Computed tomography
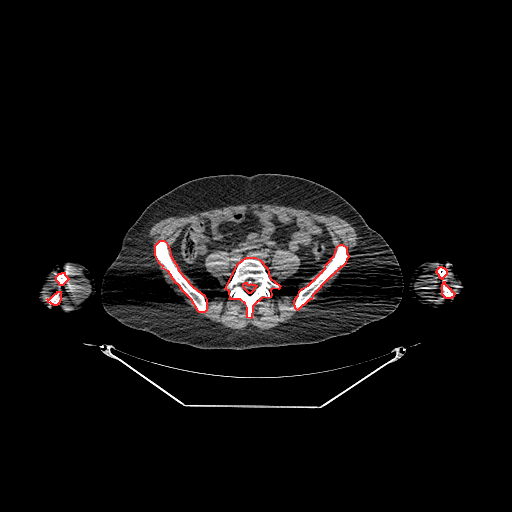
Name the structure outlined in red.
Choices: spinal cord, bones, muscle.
red: bones.
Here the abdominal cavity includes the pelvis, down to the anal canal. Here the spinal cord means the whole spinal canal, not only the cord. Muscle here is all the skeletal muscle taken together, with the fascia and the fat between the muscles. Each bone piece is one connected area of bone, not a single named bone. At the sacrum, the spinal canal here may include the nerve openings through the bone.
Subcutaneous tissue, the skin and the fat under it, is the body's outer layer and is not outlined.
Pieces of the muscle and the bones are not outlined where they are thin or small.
The bones appear in 7 outlined pieces: piece 1: (246, 257) (255, 257) (259, 259) (267, 268) (269, 277) (280, 286) (278, 289) (272, 288) (270, 290) (271, 294) (270, 297) (267, 298) (262, 297) (252, 306) (251, 318) (247, 317) (247, 307) (245, 303) (240, 299) (230, 299) (229, 291) (225, 288) (238, 263); inner edge: (245, 282) (246, 282) (246, 283) (247, 284) (248, 284) (249, 285) (251, 283) (252, 284) (254, 284) (255, 285) (256, 285) (256, 286) (253, 289) (253, 290) (250, 293) (249, 293) (244, 288) (244, 287) (243, 286) (243, 284); piece 2: (160, 240) (163, 240) (166, 242) (169, 249) (170, 255) (178, 268) (178, 270) (192, 286) (204, 295) (206, 300) (206, 310) (204, 312) (199, 312) (198, 311) (191, 299) (182, 290) (179, 285) (175, 282) (168, 271) (162, 268) (163, 266) (160, 264) (155, 255) (155, 245); piece 3: (340, 244) (342, 244) (346, 247) (346, 252) (348, 255) (348, 257) (346, 259) (345, 263) (328, 278) (312, 295) (311, 299) (309, 299) (297, 310) (295, 308) (294, 301) (295, 298) (298, 295) (299, 291) (302, 288) (308, 285) (325, 268) (326, 264) (334, 255) (337, 246); piece 4: (444, 281) (444, 283) (449, 288) (450, 288) (450, 289) (454, 293) (454, 294) (453, 295) (453, 296) (452, 297) (451, 297) (450, 298) (446, 298) (445, 297) (444, 297) (444, 296) (442, 294) (442, 284) (443, 283) (443, 282); piece 5: (57, 291) (60, 291) (60, 300) (59, 301) (59, 302) (58, 303) (58, 304) (57, 304) (56, 305) (54, 305) (53, 304) (52, 304) (50, 302) (49, 303) (48, 302) (48, 300) (47, 299) (48, 298) (49, 299) (55, 293) (56, 293) (57, 292); piece 6: (62, 272) (64, 272) (64, 274) (68, 278) (68, 279) (62, 285) (60, 285) (59, 284) (59, 283) (56, 280) (56, 276) (59, 273) (61, 273); piece 7: (440, 266) (441, 266) (442, 267) (443, 267) (444, 268) (445, 268) (445, 269) (446, 270) (446, 274) (442, 278) (442, 279) (441, 278) (440, 278) (440, 277) (439, 276) (439, 275) (436, 272) (436, 271) (437, 270) (437, 269). The muscle appears in 3 outlined pieces: piece 1: (246, 203) (275, 204) (325, 215) (336, 215) (348, 222) (359, 237) (350, 263) (340, 270) (331, 285) (319, 298) (304, 306) (288, 321) (262, 330) (252, 325) (234, 329) (201, 318) (171, 290) (170, 285) (156, 265) (155, 256) (162, 266) (161, 268) (167, 271) (197, 311) (204, 313) (207, 310) (205, 295) (188, 281) (177, 265) (195, 284) (203, 287) (217, 281) (216, 277) (207, 270) (206, 258) (215, 250) (227, 252) (232, 274) (224, 288) (228, 291) (230, 300) (240, 300) (244, 303) (246, 317) (251, 319) (253, 317) (253, 306) (262, 298) (270, 298) (272, 289) (278, 290) (281, 287) (270, 277) (271, 260) (272, 255) (277, 250) (287, 250) (299, 258) (299, 266) (285, 282) (294, 285) (300, 284) (321, 270) (298, 291) (294, 298) (293, 305) (298, 311) (313, 298) (313, 295) (346, 263) (349, 257) (347, 247) (344, 244) (340, 243) (335, 248) (331, 235) (322, 223) (305, 216) (277, 214) (261, 208) (248, 208) (225, 218) (201, 217) (189, 222) (181, 228) (169, 248) (165, 240) (158, 240) (154, 245) (154, 253) (149, 236) (151, 227) (162, 219) (171, 216) (182, 217) (196, 212); piece 2: (71, 265) (81, 270) (91, 284) (91, 296) (85, 301) (67, 309) (66, 307) (59, 307) (59, 303) (61, 300) (61, 291) (60, 290) (57, 290) (49, 298) (48, 297) (46, 299) (47, 302) (45, 296) (46, 295) (46, 289) (56, 272) (62, 268) (65, 268) (66, 266), around a hole outlined by (62, 272) (64, 272) (64, 274) (68, 278) (68, 279) (62, 285) (60, 285) (59, 284) (59, 283) (56, 280) (56, 276) (59, 273) (61, 273); piece 3: (433, 263) (436, 263) (439, 265) (441, 264) (450, 269) (458, 278) (459, 282) (458, 289) (455, 293) (445, 283) (444, 280) (442, 282) (441, 284) (441, 294) (445, 299) (439, 304) (432, 304) (427, 300) (424, 300) (420, 298) (415, 290) (416, 279) (425, 268) (429, 267); inner edge: (440, 266) (441, 266) (442, 267) (443, 267) (444, 268) (445, 268) (445, 269) (446, 270) (446, 274) (442, 278) (442, 279) (441, 278) (440, 278) (440, 277) (439, 276) (439, 275) (436, 272) (436, 271) (437, 270) (437, 269). The torso is outlined by (258, 173) (294, 175) (324, 185) (348, 201) (367, 224) (382, 235) (394, 252) (403, 277) (401, 300) (393, 312) (354, 332) (317, 343) (249, 349) (201, 349) (166, 341) (149, 332) (128, 327) (104, 310) (100, 292) (104, 272) (117, 255) (127, 230) (151, 202) (195, 178). The right arm is outlined by (65, 261) (74, 261) (75, 262) (80, 263) (82, 265) (85, 266) (91, 273) (95, 282) (95, 293) (94, 294) (93, 299) (84, 307) (70, 312) (62, 312) (60, 310) (56, 310) (53, 308) (48, 308) (38, 299) (39, 291) (43, 283) (45, 276) (56, 264) (61, 263). The spinal cord is outlined by (245, 282) (246, 282) (246, 283) (247, 284) (248, 284) (249, 285) (251, 283) (252, 284) (254, 284) (255, 285) (256, 285) (256, 286) (253, 289) (253, 290) (250, 293) (249, 293) (244, 288) (244, 287) (243, 286) (243, 284). The abdominal cavity is outlined by (248, 209) (322, 224) (334, 245) (333, 255) (308, 279) (294, 284) (285, 281) (300, 266) (292, 251) (274, 251) (269, 272) (259, 258) (246, 256) (232, 273) (230, 254) (215, 249) (204, 265) (216, 281) (199, 286) (172, 257) (170, 247) (182, 228) (201, 218) (225, 219). The left arm is outlined by (437, 258) (440, 259) (442, 262) (446, 261) (451, 264) (453, 266) (455, 273) (459, 278) (462, 280) (465, 280) (465, 283) (463, 291) (456, 296) (454, 301) (452, 302) (447, 301) (439, 307) (432, 307) (415, 300) (410, 295) (409, 282) (413, 272) (422, 263) (428, 260).